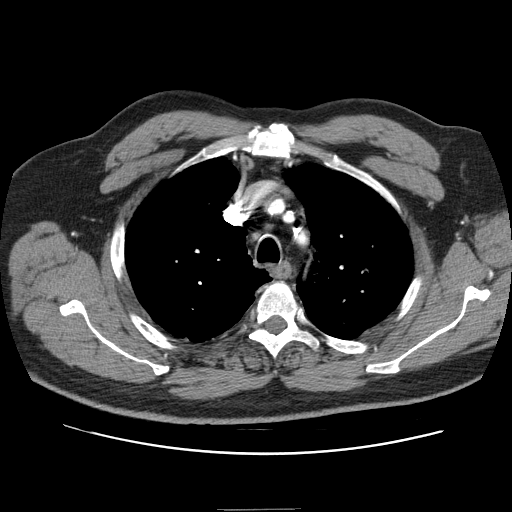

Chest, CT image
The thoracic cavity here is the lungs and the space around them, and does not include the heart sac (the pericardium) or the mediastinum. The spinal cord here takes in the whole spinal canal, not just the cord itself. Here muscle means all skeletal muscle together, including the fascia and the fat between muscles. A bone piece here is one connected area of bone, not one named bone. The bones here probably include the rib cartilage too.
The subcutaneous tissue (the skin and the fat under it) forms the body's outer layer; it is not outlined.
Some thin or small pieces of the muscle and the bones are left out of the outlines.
Outlined structures:
thoracic cavity 1: (222, 156) (228, 156) (239, 179) (234, 193) (221, 211) (221, 217) (231, 226) (244, 228) (247, 254) (253, 266) (264, 270) (270, 280) (254, 290) (255, 303) (239, 325) (208, 341) (195, 343) (158, 329) (139, 303) (126, 267) (126, 227) (142, 200) (160, 182) (191, 166)
thoracic cavity 2: (303, 159) (312, 160) (344, 173) (371, 188) (393, 208) (407, 226) (411, 238) (413, 277) (396, 309) (359, 339) (344, 339) (322, 331) (307, 317) (297, 292) (297, 279) (300, 276) (304, 282) (311, 274) (316, 249) (311, 241) (304, 204) (284, 178) (283, 171) (300, 164)
bones 1: (272, 122) (284, 122) (297, 140) (335, 152) (342, 159) (372, 175) (394, 196) (405, 221) (371, 187) (344, 172) (325, 166) (319, 158) (304, 152) (292, 158) (281, 158) (233, 151) (191, 165) (168, 177) (178, 165) (216, 140) (245, 134) (256, 123) (265, 128)
bones 2: (275, 281) (283, 281) (290, 287) (306, 317) (322, 332) (344, 340) (366, 342) (369, 345) (368, 349) (363, 353) (344, 353) (322, 342) (315, 351) (303, 342) (291, 340) (274, 359) (261, 343) (250, 339) (245, 332) (238, 333) (250, 308) (256, 303) (258, 294) (265, 286) with a hole at (273, 316) (279, 316) (281, 318) (282, 318) (285, 321) (285, 322) (286, 323) (286, 325) (285, 326) (285, 327) (280, 332) (279, 332) (278, 333) (272, 333) (271, 332) (270, 332) (267, 329) (266, 329) (264, 327) (264, 323) (268, 319) (269, 319) (271, 317) (272, 317)
bones 3: (469, 285) (479, 289) (488, 288) (490, 294) (484, 301) (476, 298) (469, 300) (463, 316) (455, 326) (439, 334) (403, 358) (399, 363) (400, 370) (398, 372) (372, 373) (366, 371) (366, 366) (369, 363) (385, 362) (398, 357) (436, 330) (454, 320) (461, 310) (464, 291)
bones 4: (71, 299) (77, 299) (84, 305) (90, 322) (106, 339) (138, 358) (146, 359) (157, 364) (168, 365) (170, 367) (169, 371) (156, 375) (148, 364) (130, 359) (115, 351) (96, 337) (88, 327) (84, 317) (79, 312) (71, 313) (66, 316) (62, 315) (59, 310) (60, 305)
bones 5: (120, 215) (122, 216) (125, 225) (125, 235) (124, 236) (124, 248) (123, 252) (124, 253) (125, 267) (128, 276) (128, 281) (124, 277) (122, 278) (121, 281) (119, 281) (117, 279) (113, 271) (110, 259) (110, 240) (112, 235) (112, 231) (114, 227) (114, 224)
bones 6: (129, 311) (133, 311) (139, 315) (147, 322) (153, 325) (158, 330) (164, 334) (168, 336) (173, 337) (176, 339) (178, 339) (178, 342) (177, 343) (180, 346) (180, 347) (176, 350) (171, 350) (170, 349) (161, 348) (157, 345) (147, 340) (132, 323) (128, 315)
bones 7: (418, 274) (419, 274) (422, 277) (422, 282) (421, 283) (419, 291) (417, 294) (417, 296) (415, 298) (412, 305) (408, 311) (399, 320) (397, 320) (396, 321) (395, 320) (395, 317) (398, 312) (398, 309) (397, 308) (402, 298) (404, 296) (412, 279) (414, 276)
spinal cord: (273, 316) (279, 316) (281, 318) (282, 318) (285, 321) (285, 322) (286, 323) (286, 325) (285, 326) (285, 327) (280, 332) (279, 332) (278, 333) (272, 333) (271, 332) (270, 332) (267, 329) (266, 329) (264, 327) (264, 323) (268, 319) (269, 319) (271, 317) (272, 317)
muscle: (178, 109) (259, 122) (203, 146) (149, 191) (126, 226) (121, 214) (115, 220) (110, 265) (153, 324) (127, 313) (147, 341) (176, 351) (179, 340) (208, 342) (239, 326) (274, 360) (291, 341) (363, 354) (362, 336) (409, 311) (423, 277) (414, 275) (397, 199) (285, 122) (366, 113) (435, 147) (453, 205) (509, 210) (511, 281) (498, 343) (347, 391) (288, 389) (274, 378) (209, 400) (52, 355) (13, 318) (14, 242) (32, 223) (81, 212) (112, 147) with holes at (469, 285) (479, 289) (488, 288) (490, 294) (484, 301) (476, 298) (469, 300) (463, 316) (455, 326) (439, 334) (403, 358) (399, 363) (400, 370) (398, 372) (372, 373) (366, 371) (366, 366) (369, 363) (385, 362) (398, 357) (436, 330) (454, 320) (461, 310) (464, 291) and at (71, 299) (77, 299) (84, 305) (90, 322) (106, 339) (138, 358) (146, 359) (157, 364) (168, 365) (170, 367) (169, 371) (156, 375) (148, 364) (130, 359) (115, 351) (96, 337) (88, 327) (84, 317) (79, 312) (71, 313) (66, 316) (62, 315) (59, 310) (60, 305)
torso: (170, 89) (208, 92) (244, 106) (288, 108) (347, 97) (378, 98) (440, 124) (478, 130) (498, 173) (511, 229) (505, 321) (481, 377) (450, 394) (408, 405) (224, 425) (116, 415) (36, 384) (12, 335) (0, 273) (2, 222) (13, 173) (37, 152) (85, 136) (133, 101)
mediastinum: (233, 152) (302, 160) (282, 171) (283, 178) (303, 204) (315, 249) (308, 278) (303, 281) (300, 275) (296, 279) (300, 302) (283, 280) (268, 283) (256, 297) (255, 290) (271, 277) (264, 269) (254, 266) (247, 251) (245, 228) (231, 225) (222, 217) (240, 179) (228, 155)